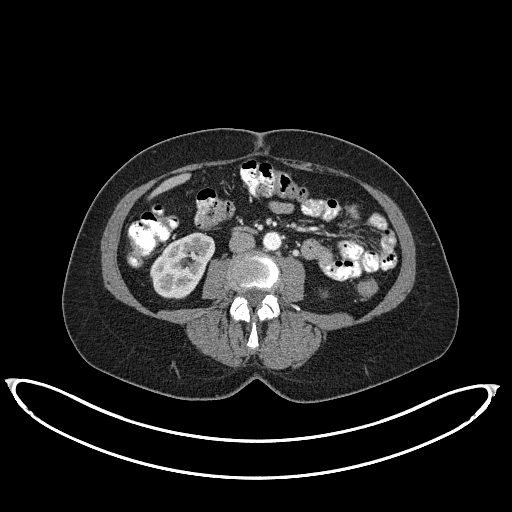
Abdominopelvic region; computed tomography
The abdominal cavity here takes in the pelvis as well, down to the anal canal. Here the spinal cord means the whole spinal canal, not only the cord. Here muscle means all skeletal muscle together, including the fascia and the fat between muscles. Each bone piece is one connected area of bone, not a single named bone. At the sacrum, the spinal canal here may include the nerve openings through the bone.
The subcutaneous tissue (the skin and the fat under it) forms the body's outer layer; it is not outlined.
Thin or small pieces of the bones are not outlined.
The spinal cord is outlined by 249 306; 257 306; 258 305; 259 305; 261 300; 263 298; 263 297; 265 294; 265 292; 263 289; 258 289; 257 288; 251 288; 250 289; 247 289; 244 291; 244 292; 243 293; 243 295; 247 299; 247 300; 248 301; 248 304; 249 305. The torso is outlined by 298 403; 325 401; 379 385; 439 358; 449 348; 457 330; 459 297; 439 236; 418 196; 373 152; 311 130; 258 133; 209 128; 167 138; 138 152; 98 191; 72 248; 62 313; 76 350; 104 373; 178 399; 222 399; 258 379; 281 397. The abdominal cavity is outlined by 355 317; 374 307; 392 285; 400 248; 383 208; 351 179; 254 156; 163 178; 138 199; 124 222; 118 246; 120 271; 135 297; 150 309; 207 305; 201 286; 209 262; 257 251; 274 259; 290 255; 303 263; 306 280; 301 308; 345 311. The muscle is outlined by 276 370; 280 370; 286 368; 289 368; 291 370; 293 370; 298 368; 304 364; 319 348; 321 343; 325 339; 329 331; 369 321; 375 316; 387 312; 397 306; 409 293; 413 287; 415 281; 415 274; 416 273; 416 259; 415 258; 416 252; 415 251; 415 244; 409 226; 404 216; 402 214; 401 210; 393 200; 380 190; 364 182; 359 178; 342 170; 335 169; 328 166; 325 166; 308 161; 303 161; 302 160; 285 158; 284 157; 278 157; 272 155; 268 152; 258 152; 257 151; 254 151; 251 153; 230 159; 203 161; 198 163; 187 164; 163 173; 130 190; 125 194; 117 203; 110 217; 108 219; 100 242; 101 272; 102 273; 102 278; 103 279; 104 286; 117 299; 127 305; 132 306; 138 311; 146 315; 158 319; 165 320; 172 323; 175 323; 179 325; 181 329; 186 334; 191 343; 201 353; 205 355; 208 359; 211 358; 225 365; 236 368; 239 366; 245 365; 247 363; 247 361; 252 357; 254 359; 257 358; 260 360; 263 366; 269 369; 275 369, around a hole outlined by 252 349; 258 346; 256 322; 276 317; 280 311; 273 292; 279 276; 274 258; 279 255; 300 260; 306 271; 305 296; 298 305; 291 304; 297 310; 345 311; 359 317; 374 307; 392 285; 400 265; 397 234; 383 208; 356 182; 254 156; 167 176; 130 210; 120 236; 118 263; 135 297; 153 310; 205 306; 201 286; 209 262; 229 258; 227 277; 237 293; 229 313; 234 320; 251 323; 247 346. The bones are outlined by 252 349; 258 346; 256 322; 276 317; 279 314; 278 297; 273 292; 275 283; 278 280; 279 268; 268 255; 257 252; 246 252; 234 255; 227 269; 227 277; 237 293; 230 305; 229 313; 234 320; 244 320; 251 323; 247 346 with a hole at 249 306; 257 306; 258 305; 259 305; 261 300; 263 298; 263 297; 265 294; 265 292; 263 289; 258 289; 257 288; 251 288; 250 289; 247 289; 244 291; 244 292; 243 293; 243 295; 247 299; 247 300; 248 301; 248 304; 249 305.